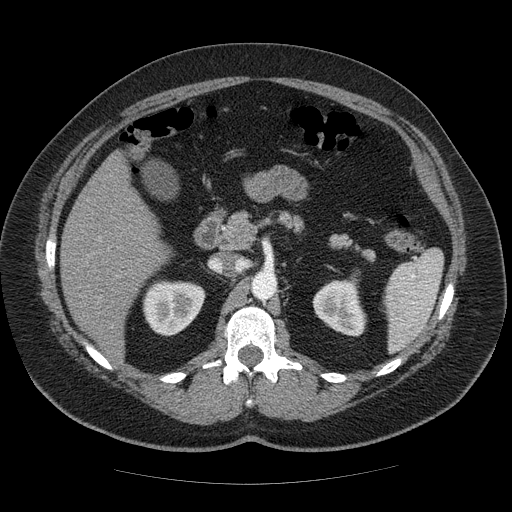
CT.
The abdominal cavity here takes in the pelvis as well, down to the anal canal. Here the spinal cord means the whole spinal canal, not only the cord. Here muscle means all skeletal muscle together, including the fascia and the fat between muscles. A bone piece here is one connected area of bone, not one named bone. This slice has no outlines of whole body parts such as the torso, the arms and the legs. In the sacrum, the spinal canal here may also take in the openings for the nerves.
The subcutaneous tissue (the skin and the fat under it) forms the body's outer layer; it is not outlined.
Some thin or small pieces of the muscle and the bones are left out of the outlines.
Outlined structures:
spinal cord: (249, 345) (251, 345) (252, 346) (255, 346) (259, 348) (262, 352) (262, 358) (261, 360) (259, 362) (255, 364) (252, 367) (249, 367) (245, 364) (244, 364) (242, 362) (241, 362) (238, 357) (238, 353) (239, 352) (239, 350)
abdominal cavity: (249, 81) (317, 94) (391, 127) (409, 148) (419, 182) (447, 225) (451, 257) (433, 314) (406, 349) (371, 369) (330, 371) (292, 349) (281, 319) (248, 304) (215, 330) (205, 351) (175, 370) (148, 372) (92, 344) (65, 313) (55, 273) (58, 224) (96, 150) (150, 111)
muscle: (238, 75) (251, 77) (257, 76) (260, 77) (296, 77) (306, 80) (312, 80) (333, 85) (348, 91) (357, 93) (380, 103) (391, 111) (408, 120) (425, 134) (432, 142) (446, 166) (461, 204) (464, 220) (464, 227) (466, 232) (466, 246) (468, 250) (468, 262) (466, 266) (465, 280) (463, 284) (461, 295) (453, 316) (452, 327) (450, 330) (449, 338) (445, 346) (432, 361) (421, 367) (402, 382) (388, 389) (385, 392) (369, 398) (365, 401) (362, 401) (343, 411) (340, 411) (327, 417) (324, 417) (311, 422) (299, 423) (291, 420) (287, 421) (277, 418) (271, 418) (261, 414) (254, 408) (247, 408) (236, 417) (220, 424) (211, 424) (210, 425) (191, 424) (179, 421) (165, 415) (158, 410) (138, 400) (135, 397) (123, 391) (113, 388) (109, 384) (93, 376) (82, 368) (75, 360) (70, 357) (58, 342) (50, 329) (49, 320) (43, 307) (43, 303) (39, 294) (38, 284) (35, 276) (34, 241) (36, 234) (36, 224) (39, 205) (43, 196) (43, 193) (46, 190) (52, 176) (58, 170) (70, 151) (85, 136) (101, 124) (116, 116) (126, 107) (152, 94) (178, 86) (208, 79); inner edges: (249, 81) (317, 94) (391, 127) (409, 148) (419, 182) (447, 225) (451, 257) (444, 286) (453, 282) (452, 301) (439, 320) (441, 294) (427, 325) (399, 354) (401, 364) (387, 374) (374, 374) (385, 361) (347, 372) (344, 381) (329, 382) (320, 373) (330, 370) (292, 349) (286, 324) (275, 319) (276, 351) (298, 361) (302, 369) (279, 369) (275, 383) (261, 372) (250, 380) (241, 372) (236, 381) (225, 384) (221, 365) (202, 367) (217, 359) (225, 364) (227, 341) (225, 326) (220, 325) (209, 347) (175, 370) (186, 373) (185, 378) (164, 382) (158, 378) (161, 373) (142, 370) (94, 344) (114, 367) (109, 370) (98, 364) (65, 313) (55, 271) (46, 263) (45, 245) (53, 218) (58, 229) (64, 206) (96, 150) (150, 111), then (248, 398) (249, 398) (250, 398) (251, 399) (252, 399) (252, 400) (253, 401) (253, 402) (253, 403) (252, 404) (252, 405) (251, 406) (250, 407) (249, 407) (248, 407) (247, 406) (246, 406) (246, 405) (245, 404) (245, 403) (245, 402) (246, 401) (246, 400) (247, 399)
bones 1: (248, 305) (260, 307) (271, 316) (276, 327) (276, 351) (293, 361) (298, 361) (302, 369) (279, 369) (275, 383) (261, 372) (256, 373) (250, 380) (241, 372) (236, 381) (227, 385) (223, 381) (221, 365) (202, 367) (204, 363) (217, 359) (225, 364) (225, 326) (236, 310), around a hole outlined by (249, 345) (251, 345) (252, 346) (255, 346) (259, 348) (262, 352) (262, 358) (261, 360) (259, 362) (255, 364) (252, 367) (249, 367) (245, 364) (244, 364) (242, 362) (241, 362) (238, 357) (238, 353) (239, 352) (239, 350)
bones 2: (53, 218) (55, 219) (54, 223) (55, 224) (55, 228) (56, 229) (55, 231) (56, 233) (56, 247) (55, 248) (55, 263) (54, 264) (54, 270) (53, 271) (51, 271) (49, 270) (46, 263) (46, 258) (45, 257) (45, 245) (50, 232) (50, 226) (53, 222)
bones 3: (450, 281) (453, 282) (453, 284) (454, 285) (454, 295) (453, 296) (452, 301) (447, 311) (445, 313) (443, 318) (439, 320) (438, 319) (438, 313) (439, 312) (439, 308) (440, 307) (440, 304) (441, 303) (441, 301) (443, 297) (443, 293) (444, 292) (444, 289) (446, 285)
bones 4: (82, 339) (85, 339) (88, 342) (89, 342) (105, 358) (106, 358) (107, 359) (107, 360) (114, 367) (114, 368) (112, 370) (109, 370) (108, 369) (101, 366) (99, 364) (98, 364) (89, 355) (89, 354) (85, 349) (85, 347) (84, 346) (84, 345) (82, 343)
bones 5: (397, 356) (400, 356) (402, 357) (402, 362) (400, 365) (399, 365) (393, 371) (387, 374) (385, 374) (384, 375) (381, 375) (380, 376) (375, 376) (374, 374) (375, 372) (376, 372) (384, 364) (385, 364) (387, 362) (388, 362) (390, 360) (393, 359)
bones 6: (173, 371) (181, 371) (182, 372) (184, 372) (187, 374) (187, 375) (184, 379) (183, 379) (178, 382) (176, 382) (175, 383) (170, 383) (169, 382) (164, 382) (163, 381) (160, 380) (158, 378) (158, 377) (160, 375) (161, 375) (164, 373) (166, 373) (167, 372) (172, 372)
bones 7: (324, 372) (340, 372) (341, 373) (344, 373) (345, 374) (346, 374) (348, 376) (348, 378) (346, 380) (345, 380) (344, 381) (342, 381) (341, 382) (329, 382) (328, 381) (327, 381) (326, 380) (325, 380) (324, 379) (323, 379) (320, 376) (320, 373) (323, 373)